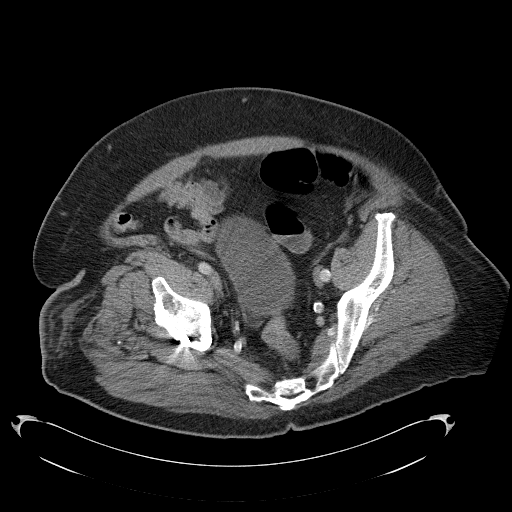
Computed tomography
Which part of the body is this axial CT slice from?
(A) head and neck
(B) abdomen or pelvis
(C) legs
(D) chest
Answer: (B) abdomen or pelvis
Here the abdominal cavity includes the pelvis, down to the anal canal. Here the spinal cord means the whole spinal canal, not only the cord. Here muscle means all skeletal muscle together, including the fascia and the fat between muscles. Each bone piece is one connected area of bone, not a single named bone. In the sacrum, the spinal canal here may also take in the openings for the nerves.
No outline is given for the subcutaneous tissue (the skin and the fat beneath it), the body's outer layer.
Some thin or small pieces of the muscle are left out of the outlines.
Outlines:
bones 1: 377,212 392,212 396,216 391,226 393,275 371,304 364,330 344,372 330,387 290,410 282,410 269,401 250,400 244,389 246,383 268,388 277,380 310,372 326,358 336,338 336,304 371,268 377,239; inner edge: 309,378 312,378 313,379 314,379 314,380 315,381 315,382 314,383 314,384 313,385 313,386 312,386 311,387 309,387 308,386 307,386 307,385 306,384 306,381 307,380 307,379 308,379
bones 2: 156,276 162,276 170,287 180,295 188,298 200,300 205,302 209,306 211,316 212,336 212,343 209,349 201,351 196,348 180,345 168,336 167,331 163,327 159,326 156,323 153,315 155,296 151,286 151,281
torso: 233,86 285,89 349,106 387,122 418,147 465,219 469,238 509,284 499,335 483,374 424,386 312,429 225,439 124,420 59,393 44,380 39,313 54,290 36,278 32,252 61,186 82,155 120,123 178,96
spinal cord 1: 309,378 312,378 313,379 314,379 314,380 315,381 315,382 314,383 314,384 313,385 313,386 312,386 311,387 309,387 308,386 307,386 307,385 306,384 306,381 307,380 307,379 308,379
spinal cord 2: 298,393 299,393 298,394 297,394 295,396 294,396 293,397 284,397 283,396 282,396 282,395 291,395 292,394 297,394
muscle 1: 259,135 292,135 337,145 371,157 407,181 419,196 405,205 403,213 445,264 457,299 454,324 348,395 294,409 330,388 349,366 370,308 394,275 392,226 397,216 392,211 374,214 370,268 339,296 332,280 332,256 359,233 359,207 376,187 370,175 345,155 305,145 255,155 204,155 176,180 116,212 108,232 115,239 154,234 172,257 206,279 220,344 283,378 268,387 246,382 245,394 252,402 269,402 284,411 267,419 234,419 178,413 110,395 95,381 78,338 99,306 102,276 139,248 106,245 99,234 103,219 131,186 159,164 197,148; inner edge: 156,276 162,276 170,287 180,295 188,298 200,300 205,302 209,306 211,316 212,336 212,343 209,349 201,351 196,348 180,345 168,336 167,331 163,327 159,326 156,323 153,315 155,296 151,286 151,281
muscle 2: 336,318 336,323 335,324 335,338 334,340 329,344 328,352 325,358 317,366 310,371 304,373 302,375 298,375 303,371 309,362 312,353 311,350 314,342 322,331 333,323
abdominal cavity: 300,146 345,156 375,187 358,207 355,239 331,256 331,280 339,297 336,317 313,342 302,371 282,377 221,344 213,324 210,283 172,256 163,239 154,233 115,238 109,226 124,207 176,181 204,156 255,156